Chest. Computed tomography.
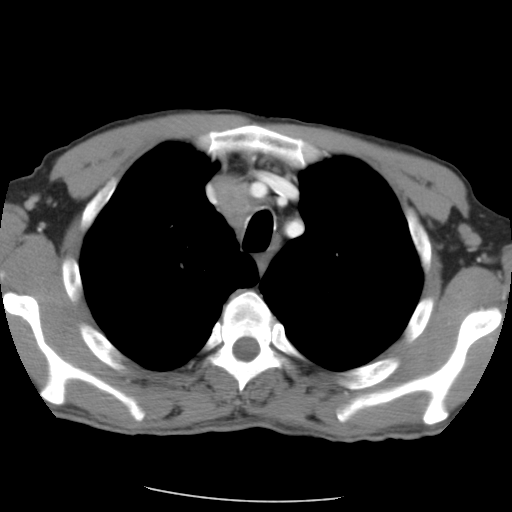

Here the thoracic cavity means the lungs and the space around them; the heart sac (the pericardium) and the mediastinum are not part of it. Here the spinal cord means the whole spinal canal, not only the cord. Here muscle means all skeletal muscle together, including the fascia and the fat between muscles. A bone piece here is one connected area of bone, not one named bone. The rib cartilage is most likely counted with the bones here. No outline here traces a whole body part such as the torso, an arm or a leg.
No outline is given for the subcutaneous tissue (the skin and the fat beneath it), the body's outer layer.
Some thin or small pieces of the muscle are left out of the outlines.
Outlines (x, y in pixels):
spinal cord: [[242,337],[250,337],[251,338],[253,338],[257,342],[258,344],[258,346],[259,347],[259,351],[257,353],[257,354],[252,359],[248,361],[245,361],[244,360],[242,360],[241,359],[239,359],[237,358],[235,356],[233,352],[233,346],[235,342],[238,339]]
muscle 1: [[181,112],[239,114],[258,122],[326,127],[432,160],[459,177],[470,209],[468,217],[456,211],[435,231],[443,245],[443,275],[447,281],[463,266],[487,264],[503,245],[511,243],[511,279],[504,315],[497,306],[471,310],[459,325],[447,359],[437,369],[361,393],[335,410],[336,418],[344,423],[362,409],[425,392],[429,398],[420,419],[425,425],[437,424],[340,437],[240,410],[185,426],[127,430],[46,405],[44,400],[63,405],[67,383],[79,380],[120,401],[137,422],[146,413],[132,396],[67,361],[48,344],[39,304],[32,295],[2,291],[0,226],[5,199],[25,210],[29,217],[26,230],[44,234],[58,252],[79,208],[64,182],[49,181],[57,158],[106,130]]; inner edge: [[253,123],[363,162],[427,232],[430,317],[375,359],[399,365],[373,386],[349,389],[292,358],[240,392],[199,351],[168,370],[124,360],[124,373],[81,337],[82,322],[100,329],[84,294],[68,296],[62,262],[79,261],[87,203],[160,144]]
muscle 2: [[500,326],[501,326],[501,329],[499,332],[497,341],[493,348],[493,351],[490,356],[489,361],[487,363],[479,381],[465,403],[464,404],[461,403],[458,404],[450,412],[446,406],[445,400],[453,383],[465,364],[469,348],[477,340],[490,334],[499,328]]
muscle 3: [[7,313],[11,315],[19,316],[27,322],[31,329],[35,342],[46,360],[47,363],[47,377],[44,385],[39,389],[39,392],[32,382],[17,351],[16,346],[14,343],[14,340],[12,337],[12,334],[10,331],[8,320],[6,317],[6,314]]
bones 1: [[247,290],[254,291],[263,299],[273,315],[283,325],[286,337],[308,361],[292,358],[293,366],[288,370],[276,367],[268,368],[252,378],[240,392],[237,381],[223,368],[203,363],[205,355],[200,351],[208,339],[213,326],[220,318],[224,304],[231,296]], around a hole outlined by [[242,337],[250,337],[251,338],[253,338],[257,342],[258,344],[258,346],[259,347],[259,351],[257,353],[257,354],[252,359],[248,361],[245,361],[244,360],[242,360],[241,359],[239,359],[237,358],[235,356],[233,352],[233,346],[235,342],[238,339]]
bones 2: [[489,307],[497,307],[503,314],[501,325],[468,348],[464,364],[444,400],[449,412],[445,419],[433,424],[423,423],[421,418],[430,398],[425,391],[362,408],[344,422],[337,418],[336,410],[361,394],[397,386],[437,370],[452,352],[460,325],[467,314]]
bones 3: [[253,123],[257,123],[271,130],[294,138],[300,138],[316,148],[325,150],[332,155],[328,158],[324,158],[318,162],[310,164],[303,169],[296,168],[285,160],[260,151],[231,153],[223,158],[211,160],[202,151],[198,150],[191,142],[210,131],[222,131]]
bones 4: [[8,291],[30,295],[37,301],[44,339],[59,356],[132,397],[144,411],[144,417],[140,421],[135,420],[120,400],[79,379],[70,379],[66,383],[63,404],[44,399],[40,395],[40,389],[48,377],[48,363],[28,322],[21,316],[6,311],[3,293]]
bones 5: [[389,356],[395,356],[397,357],[399,360],[399,365],[392,374],[381,382],[375,384],[373,386],[363,388],[362,389],[349,389],[344,386],[340,385],[337,382],[337,380],[340,377],[340,375],[338,372],[356,368],[365,365],[372,361],[379,360]]
bones 6: [[82,322],[88,323],[94,328],[100,331],[116,348],[117,348],[129,359],[127,360],[124,360],[123,361],[127,367],[127,371],[126,372],[124,373],[121,371],[119,371],[112,368],[106,363],[100,360],[90,350],[82,339],[80,334],[79,325]]
bones 7: [[405,205],[413,209],[419,218],[419,220],[425,228],[429,238],[429,241],[431,246],[431,254],[430,255],[429,269],[428,270],[428,272],[426,274],[423,272],[418,254],[415,249],[414,244],[410,235],[410,232],[408,227],[408,223],[404,213]]
bones 8: [[114,176],[118,177],[118,182],[113,193],[111,195],[110,198],[108,200],[106,204],[100,211],[89,229],[84,235],[82,234],[81,232],[81,229],[80,228],[80,225],[81,224],[82,212],[85,206],[94,196],[94,195],[112,177]]
bones 9: [[426,296],[430,296],[432,297],[433,299],[433,308],[432,309],[430,317],[427,322],[427,324],[425,326],[422,332],[411,342],[407,343],[404,340],[403,331],[406,327],[408,323],[408,321],[410,319],[419,300],[421,298],[425,297]]
bones 10: [[68,257],[73,257],[78,262],[78,265],[79,266],[79,274],[81,278],[81,283],[83,289],[83,293],[79,297],[77,301],[75,302],[73,302],[68,296],[62,278],[62,262],[65,258]]
thoracic cavity 1: [[166,142],[190,143],[207,156],[211,163],[218,164],[204,184],[205,196],[233,231],[239,250],[253,260],[258,279],[253,285],[240,287],[230,295],[195,355],[173,369],[154,370],[130,359],[100,330],[84,295],[79,259],[84,236],[123,176],[144,154]]
thoracic cavity 2: [[332,156],[357,159],[385,180],[404,214],[423,273],[419,299],[398,338],[375,359],[341,371],[334,371],[311,361],[290,341],[284,325],[271,311],[260,289],[260,282],[275,256],[288,242],[300,237],[305,231],[305,222],[299,209],[301,172],[310,165]]
mediastinum: [[252,152],[270,155],[302,170],[299,174],[298,209],[305,228],[300,236],[288,241],[269,263],[259,282],[262,297],[252,289],[231,295],[258,281],[257,266],[247,253],[240,250],[234,231],[209,201],[204,188],[219,167],[216,161],[211,161],[231,154]]